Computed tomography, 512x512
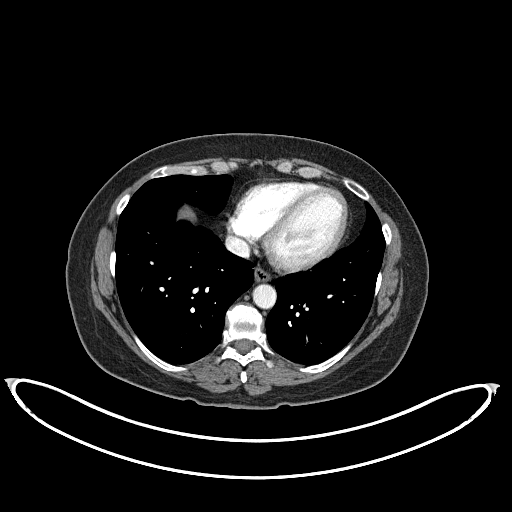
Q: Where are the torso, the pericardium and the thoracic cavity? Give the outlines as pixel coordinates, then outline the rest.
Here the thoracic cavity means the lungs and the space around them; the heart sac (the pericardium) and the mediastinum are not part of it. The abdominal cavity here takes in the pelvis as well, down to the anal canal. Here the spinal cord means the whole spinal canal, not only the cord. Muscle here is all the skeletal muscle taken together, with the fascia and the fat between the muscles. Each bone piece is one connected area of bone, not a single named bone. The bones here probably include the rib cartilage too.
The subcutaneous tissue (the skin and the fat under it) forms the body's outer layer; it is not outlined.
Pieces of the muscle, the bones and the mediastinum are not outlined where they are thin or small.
A: {"torso":[[[235,409],[304,405],[372,387],[397,367],[416,331],[429,281],[423,239],[393,186],[369,162],[346,149],[310,138],[257,132],[204,134],[167,142],[139,154],[114,172],[74,227],[68,244],[65,285],[74,325],[89,357],[110,375],[148,391],[200,405]]],"pericardium":[[[280,274],[293,273],[311,268],[322,259],[331,255],[347,239],[353,216],[345,194],[337,186],[321,181],[300,180],[291,177],[262,176],[246,182],[232,198],[223,214],[220,225],[227,233],[234,233],[246,239],[252,246],[254,254],[263,259],[272,270]]],"thoracic_cavity":[[[182,365],[210,353],[220,343],[226,310],[253,281],[253,262],[229,252],[203,224],[193,225],[175,217],[177,210],[185,203],[211,215],[220,212],[233,180],[229,174],[181,174],[149,180],[132,195],[118,221],[115,279],[126,318],[152,352],[170,363]],[[302,365],[321,362],[341,349],[355,335],[369,311],[385,245],[380,222],[374,210],[367,202],[365,203],[365,222],[360,233],[350,244],[340,248],[311,270],[279,277],[274,283],[277,300],[266,317],[264,324],[268,343],[276,353]]],"mediastinum":[[[264,319],[276,300],[273,283],[277,277],[285,275],[272,271],[253,254],[246,240],[227,234],[219,225],[231,198],[246,181],[262,175],[333,183],[346,194],[354,216],[350,235],[342,247],[359,233],[365,219],[365,202],[343,185],[325,178],[306,179],[284,174],[270,167],[242,167],[228,173],[234,180],[227,203],[220,213],[211,216],[198,210],[200,221],[220,238],[229,251],[255,263],[252,285],[234,303],[252,305]]],"abdominal_cavity":[[[193,224],[196,224],[197,223],[201,223],[201,222],[199,221],[199,216],[197,215],[197,210],[185,204],[183,205],[178,210],[177,212],[177,216],[176,217],[178,220],[179,219],[184,219],[185,220],[187,220],[189,221]]],"muscle":[{"outer":[[251,395],[264,393],[274,385],[309,382],[331,373],[370,344],[392,323],[397,317],[403,293],[401,238],[396,223],[368,191],[368,202],[381,223],[387,221],[392,230],[392,240],[385,247],[381,266],[382,284],[364,323],[352,339],[352,347],[326,370],[316,374],[302,373],[297,369],[301,365],[265,352],[265,356],[274,362],[270,369],[259,360],[245,367],[232,359],[217,364],[214,359],[223,350],[218,346],[203,358],[184,365],[188,367],[186,371],[169,372],[148,359],[135,343],[108,267],[118,220],[116,204],[126,191],[132,194],[148,180],[147,176],[152,169],[118,195],[99,230],[90,267],[94,305],[125,343],[162,373],[193,382],[211,392],[242,387]],"hole":[[242,382],[245,382],[246,381],[246,380],[247,379],[247,378],[246,377],[246,373],[245,372],[245,371],[244,370],[242,370],[241,371],[241,372],[240,373],[240,379],[241,380],[241,381]]},[[342,184],[341,182],[342,177],[343,176],[348,176],[338,174],[331,169],[329,169],[327,167],[318,163],[309,160],[302,159],[301,158],[296,158],[295,157],[293,158],[278,158],[277,159],[271,159],[269,160],[263,158],[242,158],[241,157],[223,158],[219,156],[218,157],[208,157],[207,158],[192,160],[191,161],[183,161],[174,164],[167,164],[204,164],[207,165],[213,160],[216,159],[223,159],[224,160],[233,160],[239,164],[239,167],[242,166],[252,167],[250,166],[250,164],[254,160],[258,160],[260,162],[260,164],[257,165],[270,166],[274,168],[279,162],[284,160],[290,160],[294,164],[295,167],[300,165],[315,166],[323,171],[322,177],[335,180]]],"bones":[{"outer":[[269,368],[273,366],[273,362],[267,359],[263,352],[272,355],[275,353],[267,343],[262,316],[250,305],[240,303],[232,305],[226,312],[226,327],[219,345],[224,350],[216,357],[215,361],[218,363],[226,358],[232,358],[245,366],[249,362],[259,359]],"hole":[[240,353],[245,353],[246,352],[247,352],[248,351],[249,351],[253,347],[253,342],[252,341],[251,341],[250,340],[248,340],[247,339],[241,339],[240,340],[237,340],[235,342],[235,347],[236,348],[236,349]]},[[148,179],[162,177],[172,174],[180,174],[181,173],[183,174],[192,174],[193,175],[203,175],[208,174],[211,172],[216,174],[227,173],[231,170],[238,168],[238,164],[233,161],[216,160],[211,162],[207,166],[204,165],[163,165],[153,170],[149,174]],[[306,178],[311,178],[312,177],[321,177],[322,175],[322,171],[315,167],[310,167],[309,166],[300,166],[295,168],[293,166],[293,164],[290,161],[284,161],[283,162],[281,162],[275,167],[275,169],[280,172],[290,173],[293,171],[296,174]],[[309,373],[316,373],[317,372],[322,371],[332,365],[340,359],[351,347],[352,342],[350,341],[341,350],[333,356],[330,357],[321,363],[315,364],[314,365],[310,365],[309,366],[301,366],[299,367],[298,369],[300,371],[302,372],[308,372]],[[169,371],[183,371],[184,370],[186,370],[187,369],[187,367],[185,366],[182,366],[181,365],[173,365],[160,359],[153,353],[152,353],[142,343],[138,337],[134,333],[133,333],[133,337],[136,343],[140,349],[146,355],[146,356],[160,367]],[[365,201],[369,201],[369,195],[367,191],[365,189],[365,188],[357,181],[351,178],[349,178],[348,177],[343,177],[342,179],[342,182],[343,184],[348,189],[349,189],[352,192],[353,192],[357,196],[363,199]],[[118,216],[119,216],[120,215],[121,212],[123,210],[123,209],[127,204],[127,203],[128,202],[128,201],[129,200],[129,199],[131,196],[131,195],[128,192],[126,192],[120,198],[120,199],[119,200],[119,201],[117,204],[117,206],[116,207],[116,214]],[[386,245],[388,245],[390,243],[390,241],[391,240],[391,230],[390,229],[390,227],[389,226],[389,225],[388,224],[388,223],[387,222],[383,222],[381,224],[381,227],[382,228],[382,232],[383,233],[383,235],[384,236],[384,239],[385,240],[385,244]],[[114,278],[115,278],[115,251],[114,250],[114,249],[113,249],[110,252],[110,255],[109,256],[109,267],[110,268],[110,271],[111,272],[111,274],[112,275],[112,276]],[[374,297],[375,296],[376,296],[376,295],[378,292],[379,287],[381,284],[381,278],[382,277],[382,272],[381,271],[381,270],[380,270],[379,271],[379,272],[378,273],[378,275],[377,276],[377,280],[376,281],[376,285],[375,286],[375,290],[374,291]]],"spinal_cord":[[[240,353],[245,353],[246,352],[247,352],[248,351],[249,351],[253,347],[253,342],[252,341],[251,341],[250,340],[248,340],[247,339],[241,339],[240,340],[237,340],[235,342],[235,347],[236,348],[236,349]]]}